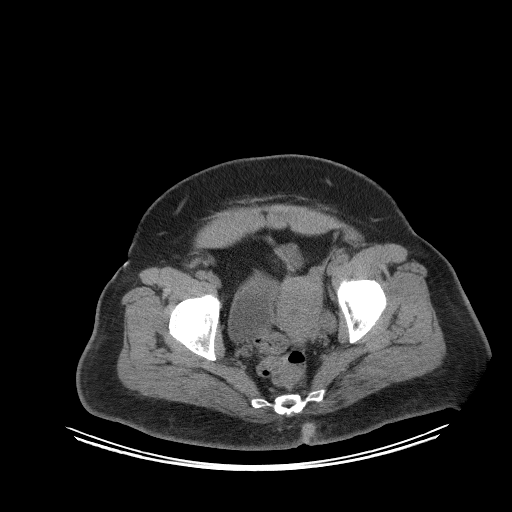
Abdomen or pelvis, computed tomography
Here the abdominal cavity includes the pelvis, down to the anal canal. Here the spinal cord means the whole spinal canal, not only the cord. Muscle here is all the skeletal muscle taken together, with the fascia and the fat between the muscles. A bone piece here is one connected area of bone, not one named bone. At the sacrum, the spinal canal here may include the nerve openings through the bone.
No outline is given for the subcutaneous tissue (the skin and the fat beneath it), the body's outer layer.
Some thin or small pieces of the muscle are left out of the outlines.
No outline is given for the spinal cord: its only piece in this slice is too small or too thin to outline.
The muscle is outlined by 273,203 323,211 353,225 368,241 406,248 427,269 425,280 446,346 443,363 333,412 281,422 246,421 206,407 138,395 125,387 116,370 123,345 124,307 120,301 138,273 150,266 175,265 209,217 with a hole at 287,227 308,236 334,231 326,270 334,302 340,282 351,279 375,280 386,297 379,318 354,343 349,342 346,320 338,308 339,345 320,356 309,386 300,392 305,396 324,389 323,398 289,416 271,406 252,406 253,398 266,396 243,364 226,357 219,322 213,361 176,340 168,327 170,312 180,301 205,294 220,297 222,281 209,248 227,247 262,228. The abdominal cavity is outlined by 287,227 308,236 334,231 326,277 330,297 338,306 339,345 320,356 321,361 307,389 300,393 266,397 245,366 225,355 220,324 222,302 219,292 222,281 213,266 216,258 208,249 227,247 262,228 278,230. The torso is outlined by 281,153 331,159 367,175 395,199 415,232 450,262 491,349 483,372 460,409 448,407 331,443 263,451 219,449 161,439 88,412 76,391 77,363 93,329 98,297 126,260 145,210 170,186 206,167 241,157. The bones appear in 3 outlined pieces: piece 1: 205,294 213,294 217,296 221,302 221,306 219,311 219,322 216,328 215,337 214,338 214,352 216,359 213,361 194,353 188,349 182,343 176,340 169,333 169,328 168,327 170,312 180,301 191,297 199,297; piece 2: 351,279 373,279 375,280 378,282 382,288 386,297 386,306 379,318 372,327 362,337 354,343 350,343 349,342 348,328 347,327 346,320 342,311 338,305 337,297 336,296 336,289 340,282 343,280 350,280; piece 3: 318,389 325,390 323,398 321,401 309,401 300,412 293,413 289,416 275,412 271,406 263,406 255,408 251,404 251,400 253,398 265,398 269,401 271,401 276,396 282,394 298,393 302,396 305,396 308,392.